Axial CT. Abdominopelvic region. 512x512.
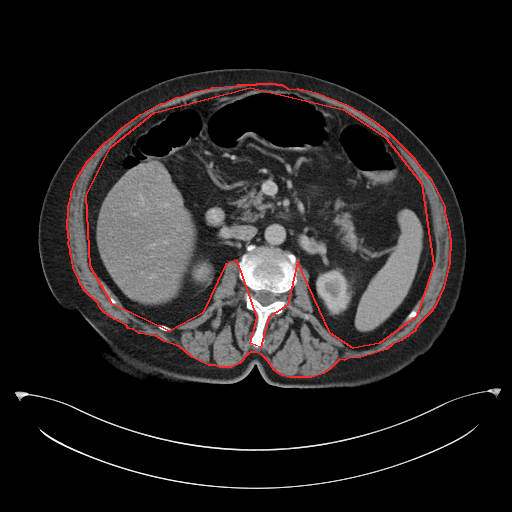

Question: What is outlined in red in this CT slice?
Answer: red: muscle.
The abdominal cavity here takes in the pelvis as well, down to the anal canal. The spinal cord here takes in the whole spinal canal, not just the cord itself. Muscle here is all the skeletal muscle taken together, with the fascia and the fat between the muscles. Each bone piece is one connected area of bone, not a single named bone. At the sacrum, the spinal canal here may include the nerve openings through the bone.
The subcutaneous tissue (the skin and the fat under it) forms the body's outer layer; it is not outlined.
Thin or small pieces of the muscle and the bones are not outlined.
Outlined structures:
muscle: [[257,83],[275,83],[276,84],[281,84],[289,89],[297,88],[298,89],[303,89],[315,92],[346,104],[359,111],[377,123],[390,134],[413,157],[420,167],[430,178],[444,206],[444,211],[449,231],[449,237],[450,238],[449,263],[443,287],[435,305],[431,311],[419,323],[415,328],[415,330],[401,340],[392,344],[386,349],[360,357],[348,358],[344,360],[339,359],[329,369],[323,373],[311,377],[290,377],[282,375],[274,370],[267,360],[261,354],[256,352],[250,352],[248,353],[239,363],[231,367],[219,367],[215,365],[208,365],[192,357],[179,346],[164,341],[156,336],[139,333],[133,329],[128,328],[126,325],[114,319],[104,312],[100,308],[98,303],[84,290],[79,282],[79,280],[73,267],[71,255],[70,254],[70,249],[68,243],[69,239],[68,238],[68,230],[67,229],[67,219],[68,218],[68,206],[71,196],[71,192],[76,179],[87,161],[105,142],[113,136],[121,128],[140,114],[160,103],[163,103],[175,97],[181,96],[194,91],[211,88],[212,87],[237,85],[238,84],[256,84]], around a hole outlined by [[250,87],[343,109],[385,137],[421,183],[433,265],[416,316],[379,343],[353,348],[330,333],[297,261],[287,305],[268,317],[260,347],[250,343],[257,317],[237,260],[225,264],[202,313],[169,331],[112,304],[90,266],[86,195],[110,147],[154,112]]
spinal cord: [[260,290],[265,290],[266,291],[269,291],[270,292],[271,292],[272,293],[275,294],[278,297],[278,298],[275,301],[274,301],[273,302],[272,302],[267,305],[263,305],[262,304],[261,304],[253,296],[253,293],[254,292],[255,292],[256,291],[259,291]]
abdominal cavity: [[250,87],[291,90],[343,109],[385,137],[421,183],[431,215],[433,265],[421,297],[379,343],[353,348],[324,327],[313,313],[309,273],[289,250],[247,245],[238,261],[225,264],[212,302],[174,327],[129,313],[90,266],[86,195],[110,147],[154,112]]
torso: [[243,67],[305,73],[367,97],[427,146],[451,183],[466,236],[461,292],[429,350],[389,377],[350,388],[282,388],[254,366],[230,384],[142,381],[95,353],[92,345],[104,346],[100,336],[64,309],[47,284],[40,210],[79,137],[112,107],[160,81]]
bones 1: [[251,244],[289,251],[296,258],[297,281],[282,296],[287,304],[283,311],[280,314],[272,313],[268,317],[263,329],[264,344],[260,347],[255,347],[250,343],[256,328],[257,317],[245,306],[244,295],[248,288],[239,278],[238,269],[242,255],[247,246]]; inner edge: [[260,290],[265,290],[266,291],[269,291],[270,292],[271,292],[272,293],[275,294],[278,297],[278,298],[275,301],[274,301],[273,302],[272,302],[267,305],[263,305],[262,304],[261,304],[253,296],[253,293],[254,292],[255,292],[256,291],[259,291]]
bones 2: [[413,309],[414,309],[417,312],[417,314],[416,315],[416,316],[415,317],[414,317],[412,319],[411,319],[408,322],[406,322],[405,321],[405,319],[406,318],[406,317],[408,315],[408,314]]